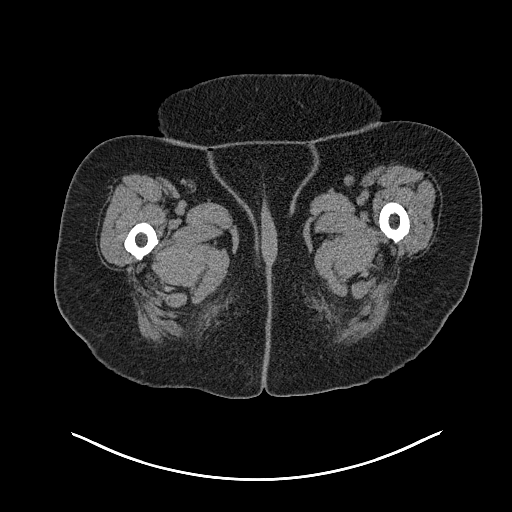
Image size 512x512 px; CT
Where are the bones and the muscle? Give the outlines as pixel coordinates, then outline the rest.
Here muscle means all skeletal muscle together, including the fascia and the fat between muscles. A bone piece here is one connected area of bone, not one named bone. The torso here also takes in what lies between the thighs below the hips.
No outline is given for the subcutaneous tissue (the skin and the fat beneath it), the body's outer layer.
The bones appear in 2 outlined pieces: piece 1: [[390,201],[394,201],[395,202],[397,202],[403,206],[407,212],[407,214],[410,221],[410,225],[409,226],[409,231],[408,233],[406,234],[397,243],[395,243],[390,238],[387,237],[379,227],[379,213],[380,212],[380,210],[384,204]]; piece 2: [[139,222],[147,222],[149,224],[150,224],[153,227],[156,233],[156,235],[158,238],[158,242],[157,244],[149,253],[145,255],[142,258],[142,259],[140,260],[138,260],[135,257],[134,257],[128,251],[127,251],[124,247],[124,240],[129,230],[135,224]]. The muscle appears in 2 outlined pieces: piece 1: [[142,172],[153,172],[167,178],[191,201],[210,200],[221,204],[229,210],[238,229],[236,252],[228,269],[227,281],[231,296],[229,307],[206,342],[196,348],[158,347],[147,342],[138,328],[121,271],[108,267],[98,253],[98,218],[115,179],[125,174]], around a hole outlined by [[139,222],[147,222],[149,224],[150,224],[153,227],[156,233],[156,235],[158,238],[158,242],[157,244],[149,253],[145,255],[142,258],[142,259],[140,260],[138,260],[135,257],[134,257],[128,251],[127,251],[124,247],[124,240],[129,230],[135,224]]; piece 2: [[405,162],[427,170],[442,193],[438,229],[433,242],[423,255],[400,268],[397,284],[376,331],[339,348],[324,345],[309,330],[304,306],[304,283],[310,270],[310,257],[303,224],[309,212],[309,204],[316,195],[331,189],[356,187],[362,175],[378,165]]; inner edge: [[390,201],[394,201],[395,202],[397,202],[403,206],[407,212],[407,214],[410,221],[410,225],[409,226],[409,231],[408,233],[406,234],[397,243],[395,243],[390,238],[387,237],[379,227],[379,213],[380,212],[380,210],[384,204]]. The right leg is outlined by [[127,134],[160,135],[183,144],[208,149],[217,174],[241,202],[254,224],[265,265],[270,271],[268,341],[263,390],[256,396],[227,398],[198,389],[157,388],[131,381],[98,361],[58,309],[54,295],[54,263],[60,219],[70,181],[91,149],[109,138]]. The torso is outlined by [[239,73],[318,73],[343,78],[366,89],[382,108],[382,120],[378,123],[313,144],[311,168],[296,190],[278,228],[277,252],[270,270],[265,262],[261,239],[255,224],[242,202],[218,174],[210,150],[162,136],[156,128],[157,108],[171,93],[205,80]]. The left leg is outlined by [[383,120],[410,120],[441,129],[465,149],[476,168],[481,188],[482,223],[467,289],[432,342],[414,359],[389,375],[365,384],[310,395],[270,395],[264,389],[264,377],[269,341],[271,270],[278,252],[279,228],[297,190],[312,168],[314,144],[367,129]].